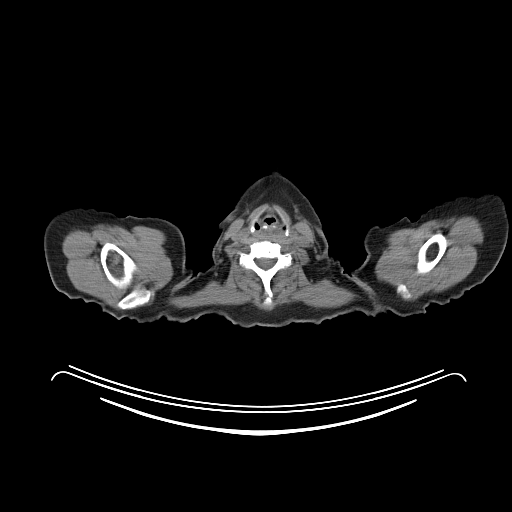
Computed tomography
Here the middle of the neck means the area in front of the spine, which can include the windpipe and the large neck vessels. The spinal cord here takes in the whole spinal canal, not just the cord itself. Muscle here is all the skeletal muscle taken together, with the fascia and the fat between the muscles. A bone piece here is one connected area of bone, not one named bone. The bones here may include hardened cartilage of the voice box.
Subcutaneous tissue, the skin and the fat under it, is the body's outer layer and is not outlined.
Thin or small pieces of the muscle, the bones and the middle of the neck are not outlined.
{"spinal_cord":[[[259,258],[274,258],[275,259],[276,259],[276,260],[275,261],[275,262],[274,263],[274,264],[271,267],[270,267],[269,268],[268,268],[267,269],[263,269],[261,267],[260,267],[256,263],[256,262],[255,261],[255,259],[258,259]]],"head_and_neck":[[[273,162],[281,162],[287,167],[287,177],[297,185],[313,206],[327,240],[328,252],[340,263],[308,322],[292,322],[282,327],[259,325],[240,327],[219,314],[210,288],[207,270],[208,259],[218,236],[220,222],[233,208],[244,190],[263,176],[268,164]]],"left_arm":[[[485,191],[497,193],[504,201],[508,219],[507,242],[494,270],[460,298],[451,299],[445,305],[432,303],[424,314],[400,317],[387,311],[351,273],[350,270],[358,267],[366,257],[363,238],[371,226],[385,226],[404,216],[415,221],[444,200]]],"muscle":[{"outer":[[277,184],[287,188],[313,225],[322,261],[329,266],[342,285],[364,297],[333,308],[316,308],[302,302],[283,304],[271,310],[259,309],[250,303],[190,308],[169,305],[167,303],[169,297],[198,289],[212,275],[218,258],[219,245],[233,218],[262,189]],"hole":[[267,209],[279,212],[288,225],[287,236],[269,240],[280,244],[282,252],[290,252],[292,263],[278,270],[271,278],[271,304],[264,305],[265,294],[262,280],[253,270],[239,264],[239,253],[248,252],[250,243],[261,240],[250,233],[250,224],[258,214]]},[[98,223],[127,229],[143,225],[165,232],[175,275],[157,302],[142,306],[156,291],[139,283],[130,288],[139,268],[110,241],[100,247],[99,260],[107,280],[119,290],[128,290],[116,304],[120,309],[71,283],[61,250],[63,236],[72,228],[88,230]],{"outer":[[462,215],[476,216],[483,223],[484,229],[484,241],[479,247],[477,262],[473,270],[462,281],[444,291],[429,292],[413,302],[406,302],[394,297],[388,287],[375,280],[373,269],[386,246],[385,238],[388,233],[400,228],[415,228],[432,219],[445,219]],"holes":[[[435,233],[441,233],[445,236],[448,242],[448,244],[446,247],[446,249],[443,255],[440,258],[438,262],[427,273],[425,274],[422,274],[421,275],[418,275],[415,273],[415,271],[416,270],[416,261],[417,260],[417,253],[420,247],[433,234]],[[400,283],[401,283],[402,284],[404,284],[406,286],[406,288],[409,291],[409,292],[411,294],[411,298],[410,299],[403,299],[399,295],[398,295],[396,293],[396,292],[395,291],[395,289],[396,288],[396,286],[398,284],[399,284]]]}],"torso":[[[341,262],[344,271],[346,273],[350,272],[384,309],[388,312],[387,313],[382,313],[376,317],[371,317],[362,312],[357,311],[344,315],[340,315],[331,319],[326,319],[319,324],[309,323],[318,303],[325,293],[329,284],[336,275],[337,270]],[[189,267],[193,270],[193,272],[195,274],[206,268],[209,281],[209,288],[211,291],[212,297],[216,305],[219,316],[214,314],[205,314],[196,319],[192,319],[183,323],[169,322],[165,319],[165,315],[175,290],[178,285],[178,283],[181,280]]],"right_arm":[[[72,207],[90,207],[109,211],[119,217],[127,215],[159,217],[179,227],[185,241],[185,263],[188,268],[177,283],[164,318],[143,324],[125,317],[116,319],[103,312],[97,304],[85,302],[81,299],[70,299],[55,288],[44,256],[44,230],[55,214]]],"middle_of_the_neck":[[[267,209],[275,210],[280,216],[282,222],[285,225],[285,228],[284,229],[284,235],[285,237],[279,239],[261,239],[259,237],[256,237],[250,233],[250,231],[251,233],[253,233],[255,231],[255,227],[254,226],[255,222],[258,219],[260,214],[264,210]]],"bones":[[[106,242],[115,244],[135,262],[138,269],[133,275],[132,283],[129,288],[139,284],[147,289],[152,289],[155,291],[155,295],[152,299],[132,309],[121,309],[117,306],[118,302],[129,290],[119,289],[114,286],[108,280],[104,272],[100,260],[100,250]],{"outer":[[261,240],[269,240],[280,244],[281,251],[282,252],[290,252],[292,256],[292,263],[288,267],[278,270],[270,280],[272,300],[271,304],[269,305],[263,304],[265,294],[261,278],[253,270],[247,269],[239,264],[239,253],[240,252],[248,252],[250,243]],"hole":[[259,258],[274,258],[275,259],[276,259],[276,260],[275,261],[275,262],[274,263],[274,264],[271,267],[270,267],[269,268],[268,268],[267,269],[263,269],[261,267],[260,267],[256,263],[256,262],[255,261],[255,259],[258,259]]},[[435,233],[441,233],[445,236],[448,242],[448,244],[446,247],[446,249],[443,255],[440,258],[438,262],[427,273],[425,274],[422,274],[421,275],[418,275],[415,273],[415,271],[416,270],[416,261],[417,260],[417,253],[420,247],[433,234]],[[400,283],[401,283],[402,284],[404,284],[406,286],[406,288],[409,291],[409,292],[411,294],[411,298],[410,299],[403,299],[399,295],[398,295],[396,293],[396,292],[395,291],[395,289],[396,288],[396,286],[398,284],[399,284]],[[278,212],[279,212],[279,213],[282,216],[282,217],[285,220],[286,223],[288,225],[288,227],[289,228],[289,231],[288,232],[288,235],[287,236],[286,236],[285,235],[285,229],[286,228],[286,225],[283,222],[283,221],[281,218],[281,216]]]}